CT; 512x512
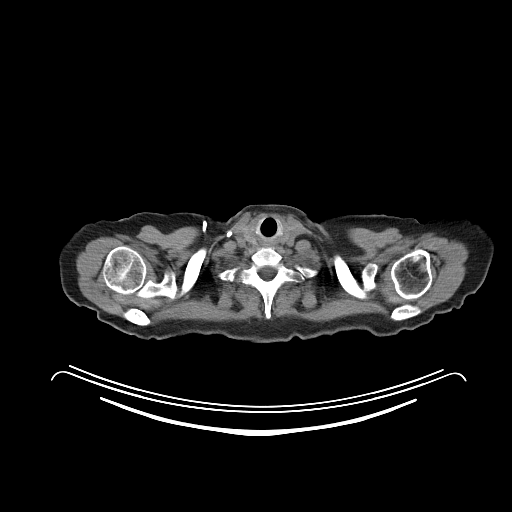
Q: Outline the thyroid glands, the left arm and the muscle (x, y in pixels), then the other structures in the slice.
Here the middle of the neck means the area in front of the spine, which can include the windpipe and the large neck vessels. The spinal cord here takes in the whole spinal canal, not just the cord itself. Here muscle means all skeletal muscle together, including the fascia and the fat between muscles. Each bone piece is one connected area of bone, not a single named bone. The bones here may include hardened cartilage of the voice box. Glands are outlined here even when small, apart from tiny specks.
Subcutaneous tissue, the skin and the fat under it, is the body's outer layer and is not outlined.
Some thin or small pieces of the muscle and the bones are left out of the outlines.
A: {"thyroid_glands":[[[252,222],[254,222],[255,223],[255,232],[254,233],[254,237],[255,238],[255,243],[254,243],[253,244],[252,243],[249,243],[247,241],[246,241],[245,240],[245,239],[244,238],[244,236],[243,235],[243,229],[246,226],[247,226],[250,223],[251,223]],[[283,223],[285,223],[286,224],[288,224],[290,226],[291,226],[291,228],[292,229],[292,230],[291,231],[291,233],[290,234],[290,236],[288,238],[288,239],[286,241],[283,241],[282,240],[283,239]]],"left_arm":[[[463,216],[482,225],[491,235],[495,244],[493,258],[483,283],[476,292],[465,298],[460,308],[454,308],[449,312],[436,314],[429,323],[413,330],[402,330],[395,335],[378,296],[378,263],[387,238],[403,220],[409,217],[424,223],[432,218],[459,218]]],"muscle":[{"outer":[[270,210],[291,213],[331,239],[358,226],[464,242],[469,255],[461,284],[423,312],[405,302],[390,319],[372,313],[324,322],[270,319],[283,284],[319,273],[283,261],[274,248],[291,246],[296,234],[271,214],[239,234],[242,244],[258,247],[248,265],[216,275],[256,289],[266,319],[151,325],[142,309],[108,313],[78,287],[75,257],[92,239],[134,236],[147,224],[163,232],[198,225],[216,235],[245,212]],"holes":[[[123,245],[135,250],[143,258],[147,280],[158,283],[164,272],[170,269],[179,287],[192,254],[200,247],[206,247],[207,250],[197,279],[190,290],[173,299],[162,295],[144,298],[135,294],[118,293],[110,289],[104,281],[102,269],[107,254],[113,248]],[[415,249],[423,249],[427,251],[430,254],[430,263],[431,264],[432,281],[431,282],[430,287],[419,297],[414,299],[404,299],[399,296],[395,291],[394,284],[390,276],[390,271],[393,263],[398,258],[404,255],[406,253],[410,252],[412,250],[414,250]],[[336,253],[339,254],[344,259],[352,275],[359,283],[361,282],[361,273],[363,268],[368,263],[374,263],[377,265],[378,268],[374,277],[376,287],[367,293],[367,298],[365,299],[357,298],[348,293],[342,287],[337,278],[334,267],[334,254]]]}],"middle_of_the_neck":[[[267,215],[274,216],[281,221],[282,230],[280,224],[278,233],[282,234],[281,240],[283,242],[289,239],[293,231],[295,240],[291,245],[259,247],[246,245],[240,241],[242,232],[246,242],[255,244],[255,233],[259,233],[259,226],[256,230],[256,222]]],"right_arm":[[[138,212],[145,228],[149,233],[154,247],[155,272],[147,284],[99,320],[97,318],[96,313],[93,310],[76,305],[68,299],[63,292],[60,283],[58,265],[59,251],[62,245],[70,236],[76,230],[88,222],[95,222],[102,219],[117,220],[128,217]]],"torso":[[[250,204],[293,206],[314,221],[352,213],[408,217],[386,238],[377,263],[377,296],[394,335],[377,337],[365,330],[349,330],[273,343],[240,341],[220,334],[143,340],[101,321],[147,285],[156,272],[155,247],[140,212],[187,211],[226,220]]],"bones":[[[123,245],[135,250],[143,258],[147,280],[158,283],[164,272],[170,269],[179,287],[192,254],[200,247],[206,247],[207,250],[197,279],[190,290],[173,299],[162,295],[144,298],[135,294],[118,293],[110,289],[104,281],[102,269],[107,254],[113,248]],{"outer":[[260,247],[272,247],[281,255],[282,261],[287,266],[292,267],[294,264],[298,264],[318,271],[315,276],[308,277],[301,282],[283,283],[273,297],[269,319],[265,317],[264,301],[256,288],[241,282],[222,280],[217,276],[227,268],[248,266],[252,254]],"hole":[[265,266],[268,266],[269,267],[271,267],[272,268],[273,268],[274,269],[275,269],[275,274],[274,275],[274,276],[271,279],[270,279],[269,280],[265,280],[264,279],[263,279],[260,276],[260,275],[259,274],[259,270],[261,268],[262,268]]},[[415,249],[423,249],[427,251],[430,254],[430,263],[431,264],[432,281],[431,282],[430,287],[419,297],[414,299],[404,299],[399,296],[395,291],[394,284],[390,276],[390,271],[393,263],[398,258],[404,255],[406,253],[410,252],[412,250],[414,250]],[[336,253],[339,254],[344,259],[352,275],[359,283],[361,282],[361,273],[363,268],[368,263],[374,263],[377,265],[378,268],[374,277],[376,287],[367,293],[367,298],[365,299],[357,298],[348,293],[342,287],[337,278],[334,267],[334,254]],[[405,303],[409,303],[410,304],[416,305],[420,309],[421,311],[420,313],[419,313],[417,315],[415,315],[412,317],[410,317],[403,320],[399,320],[398,321],[392,320],[390,318],[390,315],[392,312],[392,310],[396,306],[398,306]],[[129,308],[138,308],[139,309],[142,310],[147,315],[147,316],[149,318],[149,319],[150,320],[150,323],[148,325],[145,325],[144,326],[143,325],[138,325],[135,323],[133,323],[132,322],[125,319],[122,316],[122,314],[124,311],[127,310]]],"spinal_cord":[[[265,266],[268,266],[269,267],[271,267],[272,268],[273,268],[274,269],[275,269],[275,274],[274,275],[274,276],[271,279],[270,279],[269,280],[265,280],[264,279],[263,279],[260,276],[260,275],[259,274],[259,270],[261,268],[262,268]]]}